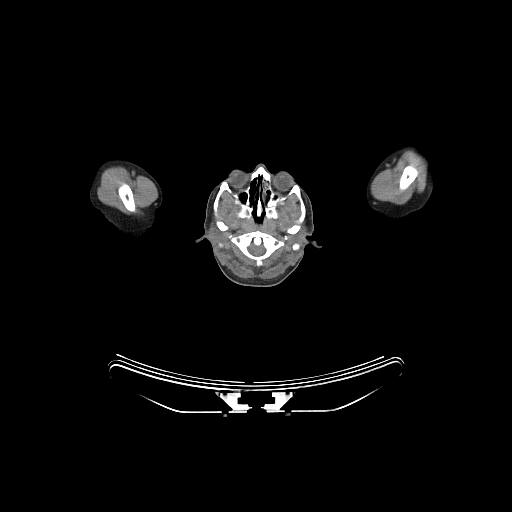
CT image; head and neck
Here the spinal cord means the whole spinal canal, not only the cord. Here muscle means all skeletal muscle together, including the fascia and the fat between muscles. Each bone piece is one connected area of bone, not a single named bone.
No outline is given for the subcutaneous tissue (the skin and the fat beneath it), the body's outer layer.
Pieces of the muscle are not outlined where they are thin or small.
head and neck: 258 163; 263 163; 269 172; 289 172; 311 202; 314 230; 310 237; 320 247; 308 244; 304 248; 293 285; 289 281; 269 288; 238 285; 221 271; 210 243; 206 239; 196 241; 204 232; 206 204; 211 190; 231 170; 238 168; 252 172 with holes at 255 202; 255 203; 256 204; 256 211; 255 212; 255 216; 256 217; 256 218; 257 219; 258 219; 259 218; 260 218; 261 217; 261 220; 260 219; 256 219; 255 218; 255 217; 253 215; 253 211; 254 210; 254 203 and at 242 193; 243 193; 244 193; 245 193; 246 194; 246 195; 246 196; 246 197; 246 198; 246 199; 245 200; 245 201; 244 202; 243 202; 242 201; 241 200; 240 199; 240 198; 240 197; 240 196; 240 195; 240 194; 241 194
left arm: 404 145; 414 145; 420 147; 426 150; 431 155; 433 162; 433 170; 434 171; 433 188; 429 199; 423 207; 414 211; 405 217; 398 219; 391 219; 385 217; 379 212; 373 209; 368 204; 366 199; 365 191; 370 176; 381 161; 392 151
right arm: 110 159; 124 159; 139 165; 146 170; 157 181; 161 188; 162 196; 163 197; 161 204; 156 209; 155 212; 155 221; 149 229; 147 234; 141 239; 132 239; 126 236; 109 222; 92 205; 90 201; 89 187; 92 175; 98 166; 103 162
bones 1: 259 166; 270 173; 277 192; 299 186; 305 218; 296 233; 287 232; 301 214; 294 194; 276 207; 277 218; 263 221; 256 216; 255 201; 254 220; 238 217; 240 207; 224 191; 215 215; 213 202; 221 182; 226 181; 234 191; 241 189; inner edge: 242 193; 243 193; 244 193; 245 193; 246 194; 246 195; 246 196; 246 197; 246 198; 246 199; 245 200; 245 201; 244 202; 243 202; 242 201; 241 200; 240 199; 240 198; 240 197; 240 196; 240 195; 240 194; 241 194
bones 2: 255 230; 259 230; 262 232; 270 234; 278 240; 282 240; 284 243; 283 245; 276 249; 268 257; 265 258; 262 261; 262 265; 260 266; 257 266; 256 262; 253 259; 247 257; 231 241; 229 236; 230 235; 232 236; 238 236; 243 233; inner edge: 251 244; 253 244; 255 246; 259 246; 260 245; 262 245; 263 246; 263 247; 264 248; 264 252; 261 255; 254 255; 253 254; 252 254; 250 252; 250 251; 249 250; 249 247; 251 245
bones 3: 124 182; 129 185; 133 193; 133 198; 134 199; 134 202; 135 203; 135 210; 133 212; 131 212; 129 211; 125 207; 118 193; 118 188; 119 186; 122 183
bones 4: 409 164; 412 164; 417 169; 417 170; 418 171; 418 174; 417 175; 417 176; 415 178; 415 179; 404 190; 400 190; 399 189; 399 179; 400 178; 400 176; 401 175; 401 174; 402 173; 402 171; 403 170; 403 169; 407 165; 408 165
bones 5: 217 220; 218 220; 219 221; 222 221; 227 226; 227 229; 226 230; 224 230; 223 231; 222 231; 220 229; 219 229; 219 228; 217 226; 217 225; 216 224; 216 221
bones 6: 294 243; 295 243; 296 243; 297 243; 298 243; 299 244; 300 245; 300 246; 300 247; 299 248; 298 249; 297 250; 296 250; 295 250; 294 250; 293 249; 292 248; 292 247; 292 246; 293 245; 293 244
muscle 1: 224 192; 239 207; 236 213; 238 218; 263 222; 277 219; 277 207; 288 197; 296 197; 300 214; 286 232; 296 234; 305 219; 307 234; 294 265; 276 278; 264 280; 239 278; 220 263; 215 246; 208 237; 208 230; 213 210; 217 215 with holes at 255 230; 259 230; 262 232; 270 234; 278 240; 282 240; 284 243; 283 245; 276 249; 268 257; 265 258; 262 261; 262 265; 260 266; 257 266; 256 262; 253 259; 247 257; 231 241; 229 236; 230 235; 232 236; 238 236; 243 233 and at 217 220; 218 220; 219 221; 222 221; 227 226; 227 229; 226 230; 224 230; 223 231; 222 231; 220 229; 219 229; 219 228; 217 226; 217 225; 216 224; 216 221 and at 294 243; 295 243; 296 243; 297 243; 298 243; 299 244; 300 245; 300 246; 300 247; 299 248; 298 249; 297 250; 296 250; 295 250; 294 250; 293 249; 292 248; 292 247; 292 246; 293 245; 293 244
muscle 2: 111 166; 123 166; 124 167; 128 166; 130 168; 141 173; 154 183; 158 192; 158 196; 153 205; 144 216; 139 217; 134 215; 125 214; 113 207; 103 204; 98 199; 97 197; 97 188; 98 187; 98 183; 101 177; 101 174; 106 168; inner edge: 124 182; 129 185; 133 193; 133 198; 134 199; 134 202; 135 203; 135 210; 133 212; 131 212; 129 211; 125 207; 118 193; 118 188; 119 186; 122 183
muscle 3: 406 150; 414 151; 420 155; 424 159; 426 163; 427 172; 426 173; 426 186; 424 191; 421 193; 419 193; 415 197; 410 199; 404 204; 395 204; 391 202; 379 201; 375 199; 371 195; 370 192; 370 186; 374 177; 386 163; 392 160 with a hole at 409 164; 412 164; 417 169; 417 170; 418 171; 418 174; 417 175; 417 176; 415 178; 415 179; 404 190; 400 190; 399 189; 399 179; 400 178; 400 176; 401 175; 401 174; 402 173; 402 171; 403 170; 403 169; 407 165; 408 165
spinal cord: 251 244; 253 244; 255 246; 259 246; 260 245; 262 245; 263 246; 263 247; 264 248; 264 252; 261 255; 254 255; 253 254; 252 254; 250 252; 250 251; 249 250; 249 247; 251 245